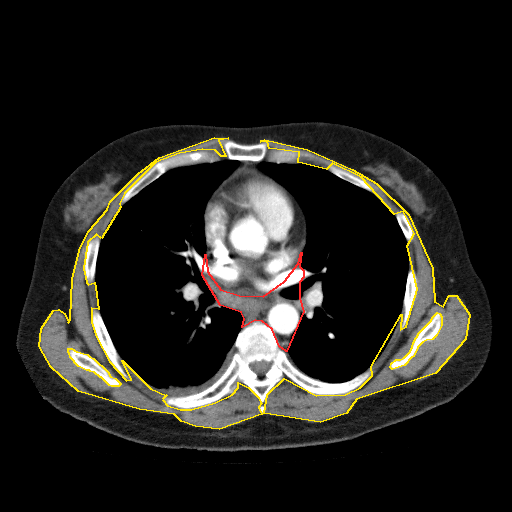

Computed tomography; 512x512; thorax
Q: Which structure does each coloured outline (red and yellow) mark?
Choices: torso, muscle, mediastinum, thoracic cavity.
A: red: mediastinum; yellow: muscle.
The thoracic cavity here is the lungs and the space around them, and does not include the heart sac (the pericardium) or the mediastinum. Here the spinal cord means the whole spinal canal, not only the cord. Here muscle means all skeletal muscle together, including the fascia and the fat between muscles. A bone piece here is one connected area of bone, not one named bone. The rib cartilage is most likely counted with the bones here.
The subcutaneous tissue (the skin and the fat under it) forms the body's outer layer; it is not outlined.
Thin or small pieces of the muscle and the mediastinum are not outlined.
{"mediastinum":[[[301,252],[299,266],[303,270],[303,277],[299,282],[299,298],[303,311],[286,351],[279,346],[272,329],[262,321],[255,320],[242,327],[244,318],[241,312],[220,305],[202,275],[205,254],[207,271],[220,289],[239,295],[263,296],[284,281],[298,263]]],"muscle":[{"outer":[[264,139],[307,149],[352,169],[376,183],[408,214],[432,268],[434,301],[443,306],[449,295],[456,295],[469,314],[465,339],[435,373],[356,399],[346,413],[320,422],[264,413],[267,394],[284,378],[316,395],[345,394],[360,387],[372,375],[371,366],[401,314],[400,329],[406,326],[417,289],[407,245],[414,233],[403,211],[394,214],[361,177],[332,163],[326,169],[298,162],[299,152],[269,148],[267,141],[260,141]],"hole":[[437,312],[439,313],[441,316],[441,325],[436,335],[432,339],[426,340],[422,342],[417,347],[413,356],[411,357],[404,365],[392,369],[390,367],[391,363],[396,359],[400,359],[404,357],[409,352],[412,347],[413,342],[419,332],[430,321],[433,316]]},{"outer":[[214,137],[228,138],[218,140],[225,156],[221,156],[215,150],[202,149],[179,153],[155,162],[124,193],[119,203],[120,207],[101,238],[96,234],[87,242],[83,268],[86,282],[88,284],[94,282],[95,287],[98,309],[91,308],[91,322],[96,337],[109,361],[126,380],[131,379],[122,360],[150,388],[166,395],[162,399],[167,405],[180,409],[191,409],[215,402],[232,394],[238,387],[238,382],[248,387],[257,396],[261,403],[258,407],[261,414],[219,429],[195,426],[181,421],[174,414],[139,409],[78,391],[51,367],[39,346],[41,328],[53,310],[58,309],[64,313],[68,322],[70,319],[72,278],[80,247],[89,230],[107,209],[110,201],[138,173],[159,157]],"hole":[[68,348],[71,348],[76,351],[87,354],[89,356],[93,358],[107,371],[110,376],[115,378],[120,383],[120,384],[118,386],[111,386],[109,385],[101,377],[100,377],[94,372],[90,371],[89,370],[86,370],[78,366],[70,357],[69,353],[68,352]]}],"torso":[[[304,121],[345,124],[386,138],[419,158],[445,185],[491,307],[491,347],[479,375],[450,401],[404,421],[348,440],[270,450],[209,451],[141,444],[78,420],[44,399],[22,360],[16,333],[42,220],[49,201],[67,176],[106,144],[147,127],[246,127]]],"bones":[{"outer":[[255,321],[269,327],[294,365],[312,378],[340,383],[370,367],[373,371],[360,386],[339,394],[311,393],[284,377],[266,394],[263,413],[258,396],[239,381],[232,393],[210,403],[191,408],[169,405],[164,396],[189,395],[211,385],[237,350],[238,333]],"hole":[[262,360],[264,360],[265,361],[268,362],[270,364],[270,366],[269,367],[268,370],[263,375],[259,375],[258,374],[257,374],[251,368],[250,365],[251,364],[251,363],[252,363],[255,361],[261,361]]},[[220,139],[229,139],[241,144],[255,144],[260,142],[267,142],[269,149],[274,148],[275,149],[292,150],[299,153],[300,156],[295,162],[280,162],[279,163],[273,161],[268,161],[266,158],[260,161],[229,159],[226,157],[222,151],[222,148],[219,143]],[[202,150],[208,150],[209,151],[215,151],[217,152],[220,155],[218,160],[213,162],[201,162],[200,163],[180,165],[170,168],[142,188],[126,202],[123,204],[120,203],[125,193],[158,161],[161,161],[179,154],[194,152],[195,151],[201,151]],[[92,308],[95,308],[99,311],[102,320],[104,323],[104,325],[111,339],[111,341],[121,359],[121,363],[126,373],[129,376],[130,379],[129,380],[126,379],[117,370],[110,361],[109,358],[104,351],[97,337],[92,322]],[[437,312],[439,313],[441,316],[441,325],[436,335],[432,339],[426,340],[422,342],[417,347],[413,356],[411,357],[404,365],[392,369],[390,367],[391,363],[396,359],[400,359],[404,357],[409,352],[412,347],[413,342],[419,332],[430,321],[433,316]],[[68,348],[71,348],[76,351],[87,354],[89,356],[93,358],[107,371],[110,376],[115,378],[120,383],[120,384],[118,386],[111,386],[109,385],[101,377],[100,377],[94,372],[90,371],[89,370],[86,370],[78,366],[70,357],[69,353],[68,352]],[[409,268],[413,268],[415,271],[415,275],[416,276],[415,297],[413,301],[413,304],[408,319],[405,324],[405,326],[403,329],[401,329],[401,324],[402,323],[402,318],[403,317],[402,316],[403,300],[405,294],[407,275],[408,274]],[[96,235],[98,235],[100,237],[100,242],[99,243],[99,247],[97,251],[97,256],[96,257],[96,261],[95,262],[95,273],[94,274],[94,281],[91,283],[88,283],[86,280],[86,277],[85,276],[85,269],[84,268],[85,250],[86,249],[88,242]],[[328,164],[332,164],[341,169],[343,169],[344,170],[361,178],[363,180],[364,180],[366,182],[367,182],[372,187],[374,192],[373,193],[362,187],[360,187],[357,185],[355,185],[354,184],[339,177],[337,175],[332,173],[329,170],[328,170],[327,169]],[[398,210],[403,212],[407,216],[407,217],[410,222],[410,224],[411,225],[411,228],[412,229],[412,232],[413,233],[413,238],[411,241],[407,241],[406,240],[406,238],[405,237],[405,236],[404,235],[404,234],[398,223],[398,221],[395,216],[395,212]]],"spinal_cord":[[[262,360],[264,360],[265,361],[268,362],[270,364],[270,366],[269,367],[268,370],[263,375],[259,375],[258,374],[257,374],[251,368],[250,365],[251,364],[251,363],[252,363],[255,361],[261,361]]],"thoracic_cavity":[[[226,158],[238,161],[238,165],[213,191],[205,205],[206,249],[201,275],[219,305],[240,312],[243,323],[233,343],[236,350],[211,384],[197,392],[167,395],[150,387],[136,374],[121,358],[112,341],[96,294],[98,251],[108,225],[121,206],[168,170]],[[262,161],[315,165],[372,193],[394,215],[405,238],[408,270],[397,323],[373,363],[348,380],[329,382],[312,377],[297,367],[286,352],[304,311],[300,298],[300,282],[304,270],[300,266],[300,259],[306,244],[307,225],[304,212],[292,194],[258,168]]],"pericardium":[[[242,167],[255,168],[285,188],[291,194],[301,211],[305,229],[304,242],[297,263],[285,275],[283,281],[277,287],[271,292],[263,295],[239,294],[220,288],[210,275],[206,265],[207,246],[204,229],[204,213],[206,205],[212,194],[222,182],[236,170]]]}